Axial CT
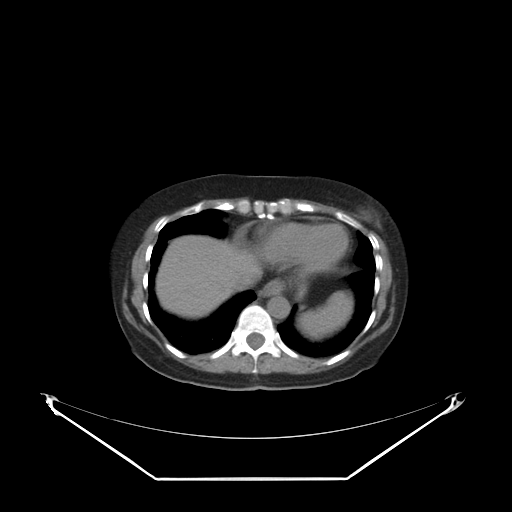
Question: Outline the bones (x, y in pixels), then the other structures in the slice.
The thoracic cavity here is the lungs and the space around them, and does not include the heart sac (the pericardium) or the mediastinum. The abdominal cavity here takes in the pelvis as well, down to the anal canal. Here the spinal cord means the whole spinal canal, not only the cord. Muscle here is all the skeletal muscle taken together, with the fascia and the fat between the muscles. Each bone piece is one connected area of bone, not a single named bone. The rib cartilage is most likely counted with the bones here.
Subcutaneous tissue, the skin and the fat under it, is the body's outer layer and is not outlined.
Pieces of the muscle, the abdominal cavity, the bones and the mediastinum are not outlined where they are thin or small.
Answer: {"bones":[{"outer":[[249,304],[259,305],[269,314],[280,338],[290,349],[298,353],[298,358],[283,351],[279,357],[264,352],[257,358],[255,365],[257,373],[252,373],[255,363],[252,356],[246,352],[234,356],[228,350],[216,358],[209,357],[211,353],[227,342],[239,314]],"hole":[[252,333],[257,333],[258,334],[260,334],[263,337],[263,338],[264,339],[264,340],[263,341],[263,342],[262,343],[262,344],[260,346],[259,346],[257,348],[253,348],[252,347],[251,347],[249,345],[249,344],[247,342],[247,337],[250,334],[251,334]]},[[283,198],[288,198],[293,202],[311,204],[316,208],[314,212],[295,210],[290,214],[278,212],[274,214],[274,217],[260,218],[253,212],[243,214],[235,209],[221,210],[211,208],[216,202],[228,201],[235,203],[242,199],[251,202],[256,199],[276,201]],[[200,201],[203,201],[205,203],[207,208],[206,208],[205,209],[203,209],[201,211],[200,211],[197,213],[194,213],[193,214],[189,214],[188,215],[184,215],[183,216],[179,216],[179,213],[182,210],[183,210],[185,208],[186,208],[189,206],[191,206]],[[336,211],[340,211],[341,212],[350,216],[352,218],[353,218],[355,220],[356,220],[361,225],[361,228],[360,229],[358,229],[357,228],[356,228],[355,227],[354,227],[353,226],[352,226],[351,225],[338,219],[335,216],[334,216],[334,212],[335,212]],[[347,348],[348,348],[350,350],[350,353],[348,355],[347,355],[345,357],[340,359],[338,361],[337,361],[336,362],[334,362],[331,364],[329,364],[328,365],[327,365],[326,364],[323,364],[323,362],[324,361],[325,361],[328,358],[342,352]],[[162,216],[168,216],[170,218],[170,220],[157,233],[156,233],[154,231],[154,227],[155,226],[155,225],[156,224],[156,223],[158,221],[158,220]],[[166,341],[177,349],[178,349],[182,352],[183,352],[186,355],[186,357],[185,357],[184,358],[181,358],[180,357],[178,357],[176,355],[175,355],[173,353],[172,353],[168,349],[167,349],[166,348],[166,347],[164,344],[164,343]],[[373,309],[374,310],[375,310],[375,317],[374,318],[373,321],[371,323],[371,324],[370,325],[369,328],[363,334],[359,334],[362,331],[362,330],[364,328],[364,327],[365,326],[365,325],[366,324],[366,323],[369,318],[369,316],[371,313],[371,311]],[[369,233],[372,233],[375,236],[375,237],[377,239],[377,241],[378,242],[378,243],[379,244],[379,248],[377,250],[374,250],[373,249],[373,247],[372,246],[372,244],[371,243],[371,242],[369,240],[369,239],[368,238],[368,237],[367,236],[367,235]],[[143,302],[146,302],[147,303],[147,307],[148,308],[149,315],[150,316],[150,318],[151,320],[153,322],[152,324],[151,324],[148,321],[148,320],[146,318],[144,314],[144,312],[143,311],[143,307],[142,306],[142,304]]],"muscle":[[[159,217],[153,227],[157,234],[156,240],[154,244],[147,245],[144,253],[144,260],[149,262],[148,271],[142,275],[142,286],[147,291],[147,301],[141,304],[145,318],[158,328],[167,340],[163,343],[165,348],[178,358],[186,358],[185,353],[210,353],[208,357],[213,360],[228,351],[234,357],[246,353],[254,363],[251,373],[214,373],[191,368],[166,355],[124,317],[121,296],[125,279],[130,278],[132,258],[146,229]],[[357,220],[374,231],[388,250],[392,283],[395,286],[395,311],[391,325],[345,362],[330,369],[307,374],[258,373],[258,358],[264,353],[275,358],[279,358],[282,352],[294,359],[298,359],[299,354],[327,358],[322,362],[327,366],[336,363],[351,353],[348,347],[350,344],[370,328],[376,317],[372,298],[380,289],[380,279],[375,273],[382,270],[384,263],[381,255],[373,252],[380,248],[378,239],[372,232],[364,234]],[[289,198],[295,198],[296,199],[307,199],[308,200],[311,200],[312,201],[316,201],[317,202],[319,202],[323,204],[326,204],[327,205],[332,205],[335,207],[337,207],[343,210],[345,210],[346,212],[351,214],[353,216],[353,217],[340,210],[336,210],[334,211],[333,212],[333,215],[329,214],[328,213],[319,212],[317,211],[317,208],[316,206],[311,203],[309,203],[308,202],[303,202],[302,201],[293,201],[290,198]],[[245,196],[255,199],[252,201],[247,198],[242,198],[235,202],[229,201],[228,200],[224,200],[223,201],[216,201],[210,206],[210,208],[208,208],[206,203],[203,200],[202,200],[204,200],[205,199],[220,199],[221,198],[235,198],[236,197],[244,197]],[[183,208],[184,208],[183,209],[182,209],[178,213],[178,216],[179,217],[178,217],[176,219],[175,219],[174,220],[172,220],[171,221],[170,221],[171,220],[171,218],[168,215],[165,215],[170,214],[177,210],[179,210],[180,209],[182,209]]],"spinal_cord":[[[252,333],[257,333],[258,334],[260,334],[263,337],[263,338],[264,339],[264,340],[263,341],[263,342],[262,343],[262,344],[260,346],[259,346],[257,348],[253,348],[252,347],[251,347],[249,345],[249,344],[247,342],[247,337],[250,334],[251,334]]],"thoracic_cavity":[[[206,209],[223,211],[220,219],[226,234],[219,237],[182,233],[167,240],[153,279],[159,308],[180,320],[197,322],[244,291],[253,290],[256,297],[240,311],[223,345],[212,352],[194,354],[171,344],[152,320],[147,302],[148,277],[158,233],[169,222]],[[358,230],[371,244],[375,266],[368,318],[361,331],[342,351],[329,357],[301,354],[283,341],[276,327],[290,316],[293,306],[296,307],[292,316],[293,328],[307,342],[320,344],[347,327],[356,310],[356,295],[349,278],[362,268],[353,259],[359,244]]],"pericardium":[[[288,216],[316,216],[339,220],[349,229],[351,237],[353,239],[352,251],[347,261],[333,271],[320,273],[312,277],[305,283],[292,282],[280,275],[266,270],[261,265],[258,258],[240,245],[231,241],[230,237],[235,228],[246,223],[247,221]]],"mediastinum":[[[268,272],[280,276],[289,281],[289,291],[291,293],[291,305],[292,306],[291,307],[290,314],[284,321],[279,323],[276,326],[274,325],[273,319],[270,314],[261,305],[255,303],[251,303],[255,300],[257,297],[254,288],[264,279],[264,276],[265,276]],[[224,211],[232,211],[233,212],[237,212],[243,215],[246,215],[247,214],[254,214],[258,218],[259,218],[247,220],[246,222],[244,222],[240,224],[238,226],[235,227],[230,235],[227,235],[227,226],[221,219],[221,218],[225,213]],[[342,222],[357,229],[356,236],[358,240],[358,244],[354,252],[353,258],[352,259],[353,260],[353,262],[361,268],[358,270],[356,270],[350,267],[347,263],[348,259],[350,257],[353,251],[353,248],[354,247],[354,239],[352,237],[352,233],[350,229]]],"abdominal_cavity":[[[182,234],[209,234],[219,238],[222,238],[226,235],[230,236],[230,241],[240,246],[258,259],[260,265],[267,271],[267,273],[253,289],[247,289],[237,293],[208,317],[197,321],[186,321],[180,319],[160,308],[154,291],[154,279],[158,264],[168,240]],[[346,262],[350,268],[356,271],[352,273],[348,278],[355,295],[355,310],[353,316],[346,327],[330,339],[320,343],[307,341],[300,336],[293,325],[293,316],[297,307],[295,305],[292,305],[290,282],[296,284],[305,284],[320,274],[333,272]]],"torso":[[[218,173],[307,174],[332,178],[365,190],[388,208],[405,241],[410,264],[410,285],[400,328],[376,365],[352,378],[325,386],[285,390],[230,391],[170,379],[146,366],[130,352],[116,319],[105,278],[107,254],[114,234],[132,209],[152,193],[181,180]]]}